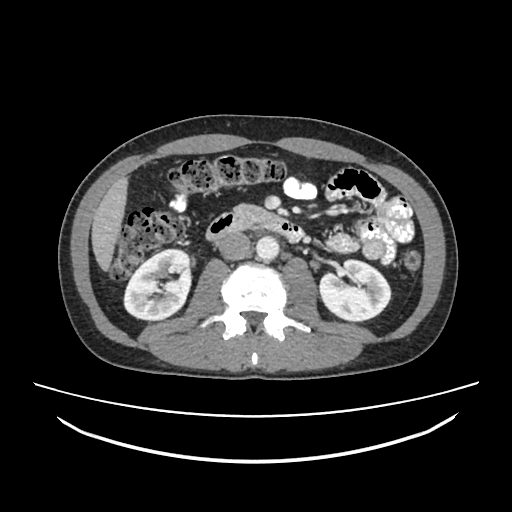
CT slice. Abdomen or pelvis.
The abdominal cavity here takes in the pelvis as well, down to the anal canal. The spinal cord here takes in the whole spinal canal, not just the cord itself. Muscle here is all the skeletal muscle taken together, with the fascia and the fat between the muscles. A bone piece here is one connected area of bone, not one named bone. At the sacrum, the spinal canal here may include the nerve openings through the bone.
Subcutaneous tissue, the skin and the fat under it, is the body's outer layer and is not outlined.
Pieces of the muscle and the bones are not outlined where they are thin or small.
torso: [[283,381],[348,376],[392,368],[414,360],[433,345],[450,314],[458,279],[454,227],[433,182],[404,153],[376,137],[343,125],[297,116],[196,116],[151,129],[113,149],[77,186],[59,232],[60,290],[68,318],[80,341],[99,359],[127,370],[196,378]]
muscle: [[231,373],[243,372],[247,369],[252,371],[258,370],[264,373],[278,373],[279,372],[281,373],[289,373],[290,372],[300,372],[301,371],[318,371],[340,365],[345,365],[355,359],[361,353],[365,345],[372,343],[385,342],[397,338],[404,337],[411,333],[417,327],[419,323],[428,314],[439,296],[444,275],[444,268],[445,267],[445,237],[441,219],[438,210],[432,199],[417,181],[409,174],[395,166],[389,164],[381,164],[371,161],[356,152],[340,146],[339,144],[325,140],[321,140],[310,137],[294,136],[293,137],[283,137],[274,141],[272,140],[268,141],[267,140],[249,139],[243,136],[234,134],[228,134],[227,133],[202,133],[201,134],[190,135],[166,142],[156,147],[150,152],[139,153],[124,157],[106,169],[91,184],[83,195],[74,215],[71,228],[71,236],[70,237],[70,256],[72,263],[73,277],[76,288],[82,300],[88,307],[89,313],[97,329],[104,336],[117,343],[130,347],[136,347],[148,351],[155,356],[157,359],[172,365],[191,369],[201,369],[210,371],[220,371],[223,369],[225,371]]; inner edges: [[280,342],[286,327],[311,330],[283,312],[290,258],[306,263],[323,319],[382,336],[411,314],[423,246],[399,190],[355,164],[251,143],[157,159],[106,193],[87,256],[112,323],[135,338],[176,315],[214,257],[233,271],[220,289],[226,307],[199,327]], then [[253,365],[256,365],[256,364],[257,363],[257,359],[258,358],[257,357],[257,354],[255,352],[253,352],[252,353],[252,355],[251,356],[251,362],[252,363],[252,364]]
spinal cord: [[250,326],[255,326],[256,325],[257,325],[257,324],[262,319],[262,318],[264,316],[265,316],[266,315],[267,315],[267,314],[266,313],[258,313],[257,312],[246,312],[245,313],[240,313],[241,314],[241,315],[245,319],[245,320],[248,323],[248,324]]
abdominal cavity: [[133,338],[146,324],[185,307],[203,265],[213,257],[232,270],[261,264],[280,272],[290,258],[304,261],[323,319],[385,335],[411,314],[419,298],[418,220],[399,190],[365,169],[273,145],[251,143],[149,162],[102,198],[87,246],[97,300],[110,321]]
bones: [[280,342],[285,337],[283,331],[286,327],[304,332],[311,330],[284,314],[287,293],[280,274],[261,265],[237,267],[221,285],[221,297],[226,305],[224,311],[219,315],[210,316],[199,327],[221,322],[225,326],[222,334],[224,340],[253,332],[264,333]] with a hole at [[250,326],[255,326],[256,325],[257,325],[257,324],[262,319],[262,318],[264,316],[265,316],[266,315],[267,315],[267,314],[266,313],[258,313],[257,312],[246,312],[245,313],[240,313],[241,314],[241,315],[245,319],[245,320],[248,323],[248,324]]